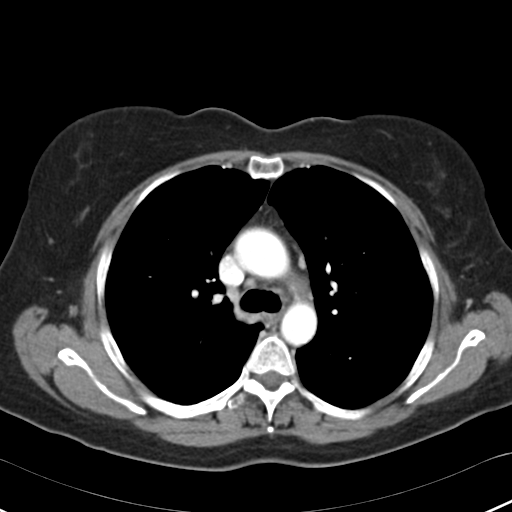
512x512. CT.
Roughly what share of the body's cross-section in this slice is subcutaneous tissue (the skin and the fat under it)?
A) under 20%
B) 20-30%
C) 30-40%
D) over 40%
C) 30-40%
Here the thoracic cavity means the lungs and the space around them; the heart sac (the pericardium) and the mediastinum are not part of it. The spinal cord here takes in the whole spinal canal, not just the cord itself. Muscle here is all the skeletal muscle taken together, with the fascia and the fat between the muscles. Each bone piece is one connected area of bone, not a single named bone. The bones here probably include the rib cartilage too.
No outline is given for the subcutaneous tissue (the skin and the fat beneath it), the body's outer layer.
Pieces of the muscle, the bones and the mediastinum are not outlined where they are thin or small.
Outlined structures:
muscle: [[229,149],[249,149],[260,151],[265,154],[294,150],[325,153],[363,165],[393,183],[411,198],[420,209],[427,223],[433,231],[435,238],[435,243],[432,245],[433,249],[455,284],[455,289],[460,301],[458,305],[458,308],[460,310],[467,308],[476,309],[482,307],[482,299],[487,293],[492,290],[499,290],[511,297],[511,356],[505,363],[497,369],[481,377],[469,387],[436,401],[420,406],[413,415],[406,419],[386,428],[380,429],[369,436],[325,444],[311,444],[295,436],[290,435],[275,435],[271,437],[267,434],[246,438],[233,443],[219,446],[187,446],[164,440],[157,437],[154,433],[151,432],[136,430],[126,426],[119,426],[92,417],[84,416],[61,404],[30,378],[21,365],[14,347],[12,335],[12,326],[17,316],[25,308],[36,304],[46,307],[49,310],[49,316],[47,319],[48,321],[56,323],[63,321],[68,323],[74,323],[77,320],[77,315],[79,311],[78,302],[80,298],[82,280],[95,255],[95,252],[92,247],[96,235],[102,223],[116,204],[139,183],[155,172],[167,166],[190,157]] with holes at [[252,155],[279,156],[286,170],[309,163],[374,180],[431,257],[439,289],[427,333],[434,339],[431,356],[408,388],[370,403],[372,410],[359,419],[320,412],[297,391],[280,400],[270,422],[262,400],[250,393],[233,409],[176,418],[140,398],[137,389],[152,392],[132,370],[134,381],[126,378],[101,341],[101,323],[109,322],[105,300],[98,303],[98,261],[106,242],[115,247],[138,195],[176,169],[233,163],[244,170]] and at [[64,347],[69,347],[73,349],[87,363],[95,376],[110,391],[118,396],[131,400],[144,407],[147,411],[146,414],[143,415],[135,413],[129,410],[121,403],[117,402],[107,396],[99,389],[88,375],[87,372],[80,366],[66,365],[57,356],[58,351]] and at [[474,328],[481,330],[485,334],[484,339],[481,340],[475,346],[468,346],[466,347],[462,351],[458,363],[441,380],[411,403],[406,404],[405,403],[405,400],[411,393],[429,383],[439,373],[443,371],[453,362],[455,359],[458,347],[462,339],[471,329]] and at [[269,424],[270,424],[271,425],[272,425],[273,426],[273,427],[273,428],[273,429],[273,430],[273,431],[272,432],[271,433],[270,433],[269,433],[268,432],[267,431],[267,430],[266,429],[267,428],[267,427],[267,426],[268,425]]
mediastinum: [[270,179],[275,180],[272,184],[268,191],[267,195],[267,202],[275,208],[303,253],[317,315],[315,334],[310,341],[297,348],[294,355],[276,332],[265,335],[260,333],[264,327],[262,323],[244,322],[236,317],[218,272],[222,254],[263,202],[265,196],[269,189]]
spinal cord: [[269,371],[274,371],[275,372],[278,373],[283,377],[283,380],[280,383],[280,384],[275,389],[269,389],[268,388],[267,388],[261,382],[260,382],[260,381],[259,380],[259,378],[261,375],[262,375],[263,374],[264,374],[265,373],[266,373]]
bones 1: [[273,333],[287,346],[298,378],[310,392],[344,409],[371,407],[359,419],[320,412],[297,391],[280,400],[270,422],[262,400],[250,393],[233,409],[226,406],[188,418],[158,411],[139,396],[137,389],[141,389],[180,405],[210,398],[239,377],[259,335]] with a hole at [[269,371],[274,371],[275,372],[278,373],[283,377],[283,380],[280,383],[280,384],[275,389],[269,389],[268,388],[267,388],[261,382],[260,382],[260,381],[259,380],[259,378],[261,375],[262,375],[263,374],[264,374],[265,373],[266,373]]
bones 2: [[64,347],[69,347],[73,349],[87,363],[95,376],[110,391],[118,396],[131,400],[144,407],[147,411],[146,414],[143,415],[135,413],[129,410],[121,403],[117,402],[107,396],[99,389],[88,375],[87,372],[80,366],[66,365],[57,356],[58,351]]
bones 3: [[474,328],[481,330],[485,334],[484,339],[481,340],[475,346],[468,346],[466,347],[462,351],[458,363],[441,380],[411,403],[406,404],[405,403],[405,400],[411,393],[429,383],[439,373],[443,371],[453,362],[455,359],[458,347],[462,339],[471,329]]
bones 4: [[252,155],[258,155],[262,157],[273,157],[274,156],[279,156],[281,158],[282,158],[284,162],[284,164],[285,165],[285,169],[287,170],[286,170],[277,178],[270,178],[269,179],[265,179],[264,178],[252,178],[245,170],[245,168],[248,162],[248,160]]
bones 5: [[431,332],[434,339],[434,347],[433,348],[431,356],[427,364],[425,366],[424,369],[419,375],[419,376],[408,388],[407,388],[400,394],[398,395],[395,395],[397,388],[400,385],[400,384],[410,371],[416,358],[418,356],[427,338],[427,336]]
bones 6: [[102,322],[104,322],[104,323],[109,327],[111,334],[117,346],[119,348],[119,350],[123,358],[131,370],[131,374],[133,375],[134,377],[134,381],[131,381],[124,376],[111,360],[106,350],[104,348],[104,346],[101,341],[101,339],[99,335],[100,326]]
bones 7: [[108,241],[111,241],[113,249],[112,250],[111,259],[109,263],[109,267],[107,271],[106,279],[105,280],[104,298],[102,304],[100,306],[98,303],[98,297],[97,296],[96,273],[97,272],[97,266],[98,265],[98,261],[100,257],[102,247],[105,243]]
bones 8: [[419,245],[422,245],[428,251],[435,268],[435,271],[437,275],[437,280],[438,281],[438,288],[439,289],[438,290],[438,299],[436,304],[434,303],[432,288],[431,287],[427,273],[423,266],[423,264],[420,257],[420,254],[418,249],[418,246]]
bones 9: [[176,169],[181,169],[183,171],[183,172],[172,177],[170,179],[163,182],[161,184],[158,185],[155,188],[154,188],[138,204],[138,205],[132,211],[132,207],[135,201],[137,199],[138,197],[138,195],[151,182],[152,182],[158,177],[168,172],[173,171]]
bones 10: [[352,171],[357,172],[379,183],[392,196],[392,197],[396,202],[396,204],[397,206],[396,207],[394,205],[393,205],[385,197],[384,197],[379,192],[378,192],[371,186],[368,185],[363,181],[360,180],[358,178],[352,175],[351,174],[351,172]]
thoracic cavity 1: [[210,165],[242,169],[252,179],[268,180],[262,202],[225,247],[217,265],[218,277],[235,317],[244,323],[260,323],[263,327],[238,377],[230,385],[198,402],[180,404],[153,393],[124,358],[106,313],[106,280],[113,250],[139,204],[154,189],[172,178]]
thoracic cavity 2: [[315,165],[350,174],[397,209],[417,247],[432,292],[429,329],[409,371],[389,393],[359,408],[334,405],[310,391],[299,378],[294,357],[297,349],[316,334],[318,315],[304,253],[276,208],[268,202],[268,195],[276,179],[286,171],[296,167],[309,169]]
torso: [[128,104],[183,114],[223,107],[269,128],[318,115],[395,113],[423,119],[451,134],[476,164],[491,213],[511,248],[511,404],[364,460],[328,467],[257,463],[227,471],[183,469],[115,455],[1,410],[0,263],[24,208],[32,169],[67,124],[98,109]]